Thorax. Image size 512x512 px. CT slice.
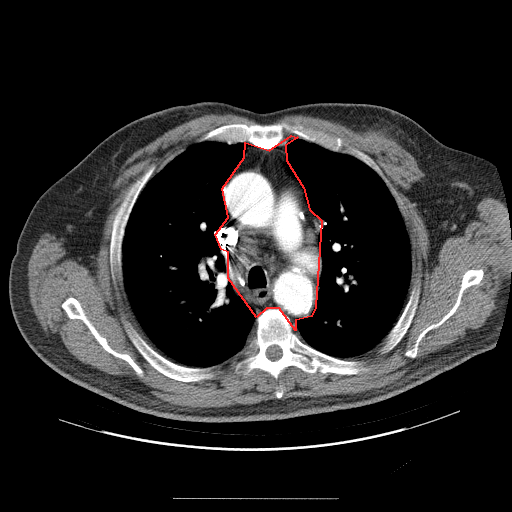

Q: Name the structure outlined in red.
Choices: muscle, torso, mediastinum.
A: red: mediastinum.
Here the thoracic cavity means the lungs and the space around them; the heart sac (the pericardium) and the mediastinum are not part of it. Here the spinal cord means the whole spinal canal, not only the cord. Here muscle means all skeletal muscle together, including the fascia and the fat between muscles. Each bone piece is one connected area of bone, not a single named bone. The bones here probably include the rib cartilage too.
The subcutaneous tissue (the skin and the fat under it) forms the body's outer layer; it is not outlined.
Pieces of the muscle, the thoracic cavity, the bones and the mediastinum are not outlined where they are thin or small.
{"mediastinum":[[[291,135],[297,137],[285,145],[286,160],[303,187],[309,209],[321,220],[315,307],[311,316],[295,320],[295,330],[279,308],[266,308],[256,317],[228,278],[228,252],[221,249],[215,234],[228,217],[222,188],[244,157],[245,142],[269,150]]],"torso":[[[200,101],[220,101],[260,113],[315,102],[380,105],[413,119],[445,145],[491,161],[502,186],[511,229],[511,276],[495,346],[375,403],[265,421],[195,422],[158,417],[90,391],[49,367],[22,337],[8,294],[11,260],[33,205],[120,127],[152,112]]],"bones":[{"outer":[[269,308],[279,309],[289,318],[293,330],[298,333],[302,342],[335,358],[363,361],[368,370],[350,375],[319,371],[310,373],[290,365],[279,374],[277,379],[259,368],[254,368],[245,375],[238,374],[234,366],[241,358],[233,357],[254,338],[256,318]],"hole":[[272,345],[277,345],[281,349],[281,351],[282,352],[282,355],[278,359],[276,359],[275,360],[271,360],[270,359],[269,359],[267,357],[267,356],[266,355],[266,350],[267,349],[267,348],[268,347],[269,347],[270,346],[271,346]]},[[283,122],[298,123],[341,137],[351,146],[369,156],[395,190],[403,204],[404,214],[401,213],[382,178],[364,162],[348,153],[333,151],[293,134],[286,134],[277,146],[269,149],[260,148],[247,141],[234,143],[216,140],[196,141],[207,132],[226,124]],[[122,318],[126,319],[145,341],[157,352],[174,363],[188,367],[200,367],[201,368],[209,367],[214,365],[219,365],[214,370],[214,377],[211,379],[204,379],[199,381],[180,381],[168,377],[159,372],[141,355],[132,343],[125,330],[124,325],[122,322]],[[153,164],[155,165],[153,174],[140,191],[132,207],[125,226],[121,244],[121,251],[122,252],[121,273],[118,271],[115,272],[114,274],[115,275],[115,282],[114,282],[112,278],[110,266],[110,241],[113,227],[113,221],[117,210],[124,199],[130,186]],[[414,285],[419,285],[420,292],[419,293],[419,298],[417,303],[417,307],[415,310],[415,313],[413,316],[411,323],[405,334],[399,342],[391,350],[384,354],[382,354],[379,350],[384,343],[384,338],[396,323],[402,313],[403,309],[408,300],[410,291]],[[68,297],[73,297],[80,303],[86,317],[98,333],[106,339],[108,345],[113,350],[118,353],[124,353],[130,356],[142,369],[142,376],[139,376],[125,360],[116,357],[105,350],[81,319],[72,319],[68,317],[66,312],[62,308],[62,303]],[[469,269],[482,269],[483,276],[479,283],[467,287],[463,291],[460,303],[454,313],[439,326],[429,330],[423,336],[418,344],[416,356],[414,358],[406,356],[404,353],[413,347],[418,336],[424,329],[438,322],[453,306],[461,286],[462,277],[464,273]]],"spinal_cord":[[[272,345],[277,345],[281,349],[281,351],[282,352],[282,355],[278,359],[276,359],[275,360],[271,360],[270,359],[269,359],[267,357],[267,356],[266,355],[266,350],[267,349],[267,348],[268,347],[269,347],[270,346],[271,346]]],"muscle":[{"outer":[[226,113],[263,123],[222,124],[188,144],[154,174],[153,163],[129,186],[112,221],[111,278],[115,283],[116,272],[122,274],[131,310],[151,344],[126,318],[121,322],[131,343],[154,369],[176,381],[199,382],[213,379],[220,364],[240,358],[234,371],[244,376],[259,369],[277,380],[290,366],[310,374],[357,375],[369,368],[363,360],[351,359],[383,340],[378,351],[388,353],[410,327],[421,288],[414,284],[410,289],[412,253],[402,200],[374,160],[345,138],[298,122],[267,123],[290,114],[331,120],[356,131],[379,132],[396,140],[415,158],[425,174],[403,193],[423,218],[430,262],[438,261],[447,238],[464,233],[484,197],[503,204],[511,229],[511,276],[503,282],[496,308],[485,323],[430,353],[419,365],[424,371],[398,385],[353,394],[282,399],[284,390],[278,384],[274,399],[222,407],[185,409],[159,403],[142,382],[108,374],[76,359],[58,338],[45,333],[30,303],[27,266],[40,235],[49,232],[64,238],[65,257],[92,269],[109,206],[118,192],[112,185],[125,161],[184,122]],"holes":[[[68,297],[73,297],[80,303],[86,317],[98,333],[106,339],[108,345],[113,350],[118,353],[124,353],[130,356],[142,369],[142,376],[139,376],[125,360],[116,357],[105,350],[81,319],[72,319],[68,317],[66,312],[62,308],[62,303]],[[469,269],[482,269],[483,276],[479,283],[467,287],[463,291],[460,303],[454,313],[439,326],[429,330],[423,336],[418,344],[416,356],[414,358],[406,356],[404,353],[413,347],[418,336],[424,329],[438,322],[453,306],[461,286],[462,277],[464,273]]]}],"thoracic_cavity":[[[204,141],[246,144],[243,157],[221,188],[227,217],[214,234],[220,249],[226,256],[227,252],[227,278],[233,290],[254,310],[255,332],[253,338],[229,359],[201,367],[174,362],[157,351],[149,341],[124,288],[122,244],[133,207],[148,181],[188,145]],[[296,138],[333,152],[348,154],[372,169],[393,197],[409,236],[410,290],[402,311],[381,341],[350,359],[335,357],[312,347],[302,341],[296,331],[297,319],[312,316],[322,275],[322,257],[318,245],[322,220],[310,209],[304,187],[287,160],[286,145]]]}